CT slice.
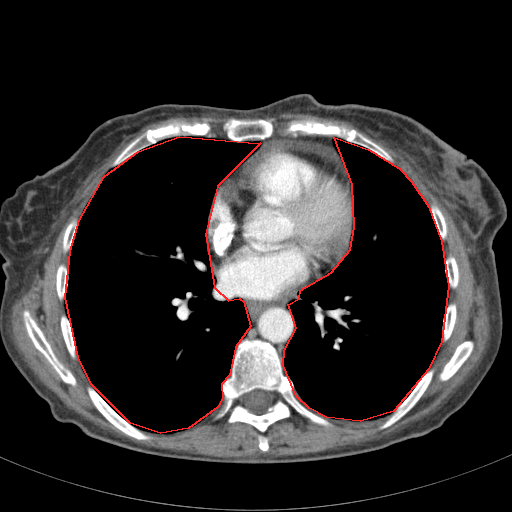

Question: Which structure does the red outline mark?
Answer: red: thoracic cavity.
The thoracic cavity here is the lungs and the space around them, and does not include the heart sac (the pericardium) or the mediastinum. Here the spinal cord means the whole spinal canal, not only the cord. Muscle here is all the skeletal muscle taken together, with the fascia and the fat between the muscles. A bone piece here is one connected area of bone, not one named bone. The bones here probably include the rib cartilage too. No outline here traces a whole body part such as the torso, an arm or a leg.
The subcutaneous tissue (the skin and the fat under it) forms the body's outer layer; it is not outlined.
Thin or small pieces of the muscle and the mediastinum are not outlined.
{"thoracic_cavity":[[[179,136],[260,143],[217,186],[205,234],[214,287],[228,300],[239,298],[243,301],[250,326],[235,347],[229,375],[221,384],[222,398],[217,407],[188,428],[160,433],[130,423],[91,384],[78,357],[65,297],[70,251],[79,220],[104,176],[138,151]],[[334,137],[368,149],[399,168],[411,181],[428,206],[441,241],[448,286],[441,341],[428,369],[393,411],[360,421],[326,417],[309,408],[296,396],[283,365],[284,350],[296,328],[288,304],[299,298],[300,290],[331,272],[350,249],[354,227],[352,184]]],"muscle":[{"outer":[[286,112],[310,114],[319,117],[345,121],[366,133],[372,138],[384,142],[391,148],[397,151],[419,173],[429,189],[441,200],[465,243],[474,277],[478,284],[483,285],[484,293],[487,299],[490,323],[489,340],[486,351],[479,365],[473,373],[438,409],[421,419],[411,423],[398,431],[378,439],[366,441],[361,444],[350,444],[335,449],[328,449],[317,452],[281,456],[259,455],[253,457],[221,457],[198,453],[190,453],[185,451],[175,451],[170,449],[161,449],[135,443],[123,437],[115,435],[92,422],[84,419],[79,414],[67,407],[52,391],[43,385],[36,378],[15,348],[10,337],[8,326],[9,325],[8,315],[12,304],[21,295],[23,291],[27,290],[30,287],[34,275],[37,272],[41,275],[43,273],[44,261],[50,253],[50,249],[60,229],[63,216],[72,207],[72,201],[77,191],[82,186],[89,174],[97,168],[105,159],[109,157],[120,146],[130,141],[142,129],[151,124],[176,117],[200,117],[212,115],[229,115],[237,117],[239,116],[240,117],[247,116],[260,117],[264,115],[274,115]],"holes":[[[232,117],[273,118],[280,124],[308,119],[355,129],[392,157],[428,206],[434,202],[440,209],[447,230],[443,255],[451,254],[458,268],[457,286],[447,295],[447,302],[456,304],[455,323],[429,366],[434,373],[428,386],[391,425],[378,429],[384,416],[328,417],[333,426],[324,426],[292,408],[290,417],[266,429],[269,447],[263,451],[254,426],[228,423],[226,415],[214,420],[213,411],[188,428],[147,431],[151,439],[137,439],[112,424],[91,400],[86,388],[91,383],[79,358],[70,356],[60,324],[66,306],[58,298],[56,275],[60,264],[69,264],[70,252],[62,248],[65,229],[80,219],[114,160],[148,129],[174,121],[206,122],[216,138],[226,139],[222,125]],[[25,309],[27,309],[29,311],[30,315],[35,321],[39,328],[43,332],[57,358],[64,364],[74,376],[76,381],[76,384],[75,385],[65,383],[61,379],[58,373],[54,369],[45,356],[35,347],[27,333],[26,327],[24,324],[23,311]],[[467,340],[471,340],[473,342],[473,349],[471,353],[466,359],[466,360],[456,371],[456,372],[450,378],[449,378],[445,381],[440,381],[438,379],[438,376],[443,369],[445,364],[450,359],[450,358],[454,353],[454,351],[456,347],[462,342],[466,341]]]}],"spinal_cord":[[[254,389],[261,389],[262,390],[269,391],[271,392],[272,394],[272,396],[273,397],[273,402],[272,404],[267,408],[266,411],[264,413],[262,413],[261,414],[256,414],[250,411],[246,407],[245,407],[243,404],[243,397],[244,395],[246,393]]],"bones":[{"outer":[[245,338],[259,339],[273,346],[281,359],[283,372],[293,384],[295,396],[333,426],[314,423],[292,408],[290,417],[280,419],[266,429],[264,434],[269,447],[263,451],[258,445],[261,433],[254,426],[245,422],[228,423],[226,415],[214,420],[234,352]],"hole":[[254,389],[261,389],[262,390],[269,391],[271,392],[272,394],[272,396],[273,397],[273,402],[272,404],[267,408],[266,411],[264,413],[262,413],[261,414],[256,414],[250,411],[246,407],[245,407],[243,404],[243,397],[244,395],[246,393]]},[[232,117],[247,120],[273,118],[275,122],[280,124],[285,124],[291,120],[308,119],[352,128],[382,147],[395,161],[395,165],[364,146],[331,135],[299,134],[293,136],[290,134],[283,135],[276,133],[264,139],[232,141],[227,138],[222,129],[223,123]],[[174,121],[185,122],[186,123],[206,122],[211,126],[211,132],[214,136],[208,137],[197,135],[179,135],[178,136],[167,137],[138,150],[116,166],[114,167],[110,166],[119,154],[138,136],[143,134],[148,129],[153,129],[162,125],[166,125]],[[25,309],[27,309],[29,311],[30,315],[35,321],[39,328],[43,332],[57,358],[64,364],[74,376],[76,381],[76,384],[75,385],[65,383],[61,379],[58,373],[54,369],[45,356],[35,347],[27,333],[26,327],[24,324],[23,311]],[[88,385],[91,385],[98,394],[109,405],[109,406],[122,418],[138,429],[151,434],[153,437],[151,439],[149,439],[148,440],[137,439],[127,435],[117,428],[105,417],[104,417],[104,416],[100,412],[99,412],[96,408],[88,394],[88,392],[86,388]],[[431,367],[434,367],[434,373],[433,374],[432,379],[416,403],[403,416],[402,416],[394,423],[383,429],[378,429],[378,427],[386,419],[386,416],[389,415],[392,412],[393,412],[394,410],[408,396],[408,395],[416,386],[424,374],[429,369],[429,368]],[[467,340],[471,340],[473,342],[473,349],[471,353],[466,359],[466,360],[456,371],[456,372],[450,378],[449,378],[445,381],[440,381],[438,379],[438,376],[443,369],[445,364],[450,359],[450,358],[454,353],[454,351],[456,347],[462,342],[466,341]],[[63,313],[66,314],[71,326],[71,329],[72,330],[72,333],[75,342],[75,348],[77,354],[77,359],[73,359],[70,356],[70,354],[66,347],[66,344],[64,341],[64,338],[61,330],[61,325],[60,324],[60,318],[61,315]],[[449,302],[454,302],[456,304],[456,318],[455,319],[455,323],[453,326],[453,329],[451,332],[451,334],[450,335],[449,338],[444,343],[443,343],[442,342],[442,324],[443,323],[443,318],[444,317],[444,314],[445,313],[445,311],[446,310],[447,305]],[[448,254],[451,254],[455,258],[456,260],[456,262],[457,263],[457,267],[458,268],[458,282],[457,283],[457,286],[454,289],[449,288],[449,286],[447,282],[447,279],[446,278],[446,274],[445,273],[445,265],[444,263],[445,262],[445,258]],[[62,263],[64,263],[67,265],[67,272],[68,273],[68,278],[67,279],[67,289],[66,290],[66,293],[65,294],[64,299],[62,301],[61,301],[58,298],[57,290],[56,289],[56,275],[57,274],[57,270],[58,269],[58,267],[59,265]],[[432,202],[434,202],[438,206],[444,217],[445,223],[446,224],[446,229],[447,230],[447,235],[446,236],[445,240],[441,240],[440,236],[438,233],[438,231],[437,230],[435,222],[433,219],[433,217],[432,216],[432,214],[429,207],[430,203]],[[73,218],[76,218],[78,219],[78,224],[77,225],[77,229],[76,230],[75,236],[74,237],[74,239],[73,240],[73,242],[72,243],[72,245],[71,246],[70,250],[68,252],[64,253],[63,252],[63,249],[62,248],[64,232],[65,231],[66,227]]],"pericardium":[[[276,138],[313,141],[332,145],[347,170],[347,175],[351,184],[353,227],[349,249],[346,255],[335,267],[319,279],[300,289],[293,296],[271,301],[258,301],[232,295],[218,283],[212,270],[211,261],[206,247],[207,222],[213,196],[221,182],[262,144]]],"mediastinum":[[[297,293],[298,298],[292,299],[287,304],[287,307],[293,314],[295,322],[295,328],[283,350],[282,361],[282,359],[278,354],[275,347],[269,342],[259,338],[250,339],[245,337],[251,326],[251,321],[245,303],[240,298],[258,302],[271,302],[293,297]],[[216,280],[217,283],[222,288],[223,288],[223,289],[225,290],[225,291],[227,292],[228,294],[232,296],[239,297],[234,297],[233,298],[230,298],[229,299],[226,298],[224,295],[224,293],[221,290],[218,289],[217,287],[215,287],[216,285]]]}